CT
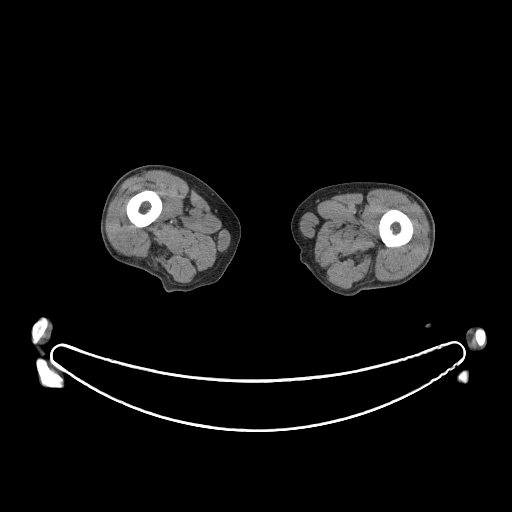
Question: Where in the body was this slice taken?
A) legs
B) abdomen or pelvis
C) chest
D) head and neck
Answer: A) legs
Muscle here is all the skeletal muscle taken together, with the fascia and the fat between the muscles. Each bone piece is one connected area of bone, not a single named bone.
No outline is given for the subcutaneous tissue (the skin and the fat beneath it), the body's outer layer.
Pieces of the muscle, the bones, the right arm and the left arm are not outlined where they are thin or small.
{"right_arm":[[[40,315],[48,316],[53,322],[54,327],[50,341],[44,348],[46,353],[45,358],[48,360],[49,356],[50,358],[51,357],[57,365],[57,371],[64,379],[64,386],[62,388],[46,387],[40,383],[38,377],[36,359],[39,356],[30,336],[32,326]]],"left_leg":[[[352,181],[388,182],[401,185],[416,193],[426,203],[433,216],[435,223],[435,241],[431,257],[425,267],[407,282],[392,287],[362,290],[352,296],[343,296],[330,291],[318,281],[300,261],[300,250],[293,239],[290,222],[297,206],[315,190],[332,184]]],"muscle":[{"outer":[[374,187],[384,187],[406,192],[417,202],[427,215],[431,233],[430,249],[420,266],[409,275],[401,279],[390,282],[368,283],[353,290],[345,290],[335,286],[318,274],[311,259],[309,248],[299,233],[297,227],[299,213],[306,206],[325,195],[359,188]],"hole":[[389,209],[397,209],[406,214],[410,219],[413,226],[413,233],[410,240],[405,244],[401,245],[400,246],[397,246],[396,247],[388,247],[386,246],[381,240],[381,238],[379,235],[378,226],[379,225],[379,221],[380,220],[380,218],[381,216],[387,210]]},{"outer":[[144,170],[165,170],[176,173],[201,190],[222,207],[233,225],[231,245],[227,254],[220,263],[195,282],[186,285],[177,285],[170,283],[165,275],[149,265],[143,259],[128,256],[119,256],[110,244],[105,229],[105,220],[111,197],[115,190],[127,178]],"hole":[[145,189],[152,190],[153,191],[155,191],[157,193],[157,194],[160,197],[162,201],[162,209],[161,210],[160,214],[156,218],[156,219],[150,224],[144,227],[137,227],[129,220],[127,216],[127,214],[126,213],[126,204],[129,200],[129,199],[133,195]]},[[48,327],[48,333],[47,334],[47,336],[46,337],[46,338],[45,339],[44,342],[43,343],[41,343],[40,344],[38,344],[39,341],[41,339],[41,338],[44,335],[44,334],[45,333],[45,332],[46,331],[46,330]]],"bones":[[[389,209],[397,209],[406,214],[410,219],[413,226],[413,233],[410,240],[405,244],[401,245],[400,246],[397,246],[396,247],[388,247],[386,246],[381,240],[381,238],[379,235],[378,226],[379,225],[379,221],[380,220],[380,218],[381,216],[387,210]],[[145,189],[152,190],[153,191],[155,191],[157,193],[157,194],[160,197],[162,201],[162,209],[161,210],[160,214],[156,218],[156,219],[150,224],[144,227],[137,227],[129,220],[127,216],[127,214],[126,213],[126,204],[129,200],[129,199],[133,195]],[[39,356],[43,357],[48,360],[49,359],[49,356],[50,358],[51,357],[52,360],[57,365],[57,371],[59,372],[62,376],[63,376],[63,378],[64,379],[64,386],[62,388],[46,387],[40,383],[40,380],[38,376],[38,372],[36,368],[36,359]],[[43,316],[47,318],[48,320],[48,322],[49,323],[43,335],[40,338],[38,342],[34,344],[32,343],[32,336],[31,335],[31,330],[32,329],[32,326],[33,324],[39,318]],[[478,328],[482,328],[485,331],[485,334],[486,335],[486,339],[485,340],[485,342],[484,343],[484,344],[481,346],[479,346],[478,345],[478,344],[477,343],[477,342],[476,341],[476,340],[474,337],[474,335],[475,334],[475,331]],[[462,370],[468,370],[468,371],[469,372],[469,377],[468,378],[468,381],[466,383],[461,383],[460,382],[459,382],[457,380],[457,378],[456,377],[457,376],[457,375],[458,374],[458,373],[459,372],[460,372]]],"left_arm":[[[473,325],[478,325],[479,326],[481,326],[481,327],[483,328],[483,329],[485,331],[485,334],[486,335],[486,345],[482,350],[480,350],[479,351],[472,351],[470,350],[466,343],[466,340],[465,339],[465,334],[466,333],[466,331],[470,326],[472,326]],[[462,370],[468,370],[468,371],[469,372],[469,377],[468,378],[468,381],[466,383],[461,383],[460,382],[459,382],[457,380],[457,378],[456,377],[457,376],[457,375],[458,374],[458,373],[459,372],[460,372]]],"right_leg":[[[146,164],[169,165],[195,175],[217,192],[238,217],[241,226],[241,237],[237,249],[223,275],[216,282],[189,291],[167,292],[163,289],[161,282],[157,277],[140,268],[116,260],[107,251],[100,232],[101,214],[106,197],[110,189],[119,177],[133,168]]]}